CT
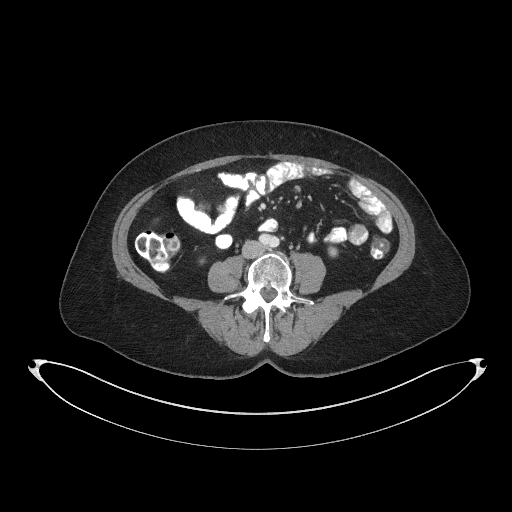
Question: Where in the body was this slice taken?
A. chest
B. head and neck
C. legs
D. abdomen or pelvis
Answer: D. abdomen or pelvis
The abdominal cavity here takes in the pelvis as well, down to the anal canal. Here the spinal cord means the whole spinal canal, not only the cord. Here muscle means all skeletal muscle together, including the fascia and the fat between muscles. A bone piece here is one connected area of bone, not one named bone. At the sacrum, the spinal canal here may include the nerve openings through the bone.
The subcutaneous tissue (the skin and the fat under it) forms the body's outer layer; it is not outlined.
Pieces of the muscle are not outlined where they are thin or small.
The spinal cord is outlined by [[266,301],[269,301],[270,300],[271,300],[276,295],[276,291],[274,289],[273,289],[272,288],[269,288],[268,289],[267,288],[263,288],[260,291],[260,293],[261,294],[261,295],[263,297],[263,298]]. The abdominal cavity is outlined by [[202,299],[219,296],[206,282],[215,261],[241,254],[248,264],[268,251],[280,251],[291,265],[289,258],[298,251],[320,257],[326,275],[313,299],[365,289],[396,251],[393,218],[354,178],[291,161],[244,159],[184,176],[140,209],[129,249],[166,293]]. The bones are outlined by [[265,342],[270,339],[270,311],[274,306],[285,312],[293,302],[314,303],[290,290],[293,271],[288,259],[280,252],[268,252],[254,259],[247,267],[246,286],[224,297],[226,300],[241,296],[244,299],[241,307],[246,313],[259,307],[264,311],[262,338]]; inner edge: [[266,301],[269,301],[270,300],[271,300],[276,295],[276,291],[274,289],[273,289],[272,288],[269,288],[268,289],[267,288],[263,288],[260,291],[260,293],[261,294],[261,295],[263,297],[263,298]]. The torso is outlined by [[207,379],[239,377],[265,363],[295,377],[338,375],[413,348],[463,317],[471,294],[466,265],[423,194],[401,168],[375,148],[334,129],[248,119],[201,125],[166,137],[138,153],[111,178],[67,266],[58,299],[60,317],[72,333],[102,343],[138,364]]. The muscle appears in 2 outlined pieces: piece 1: [[289,360],[290,359],[295,359],[305,354],[312,348],[333,326],[333,325],[340,318],[341,315],[355,302],[368,294],[377,290],[382,286],[396,279],[409,267],[415,253],[415,233],[414,232],[414,226],[412,220],[408,212],[400,200],[389,189],[380,184],[375,180],[368,177],[365,177],[360,174],[358,174],[343,166],[340,166],[332,162],[323,159],[320,159],[319,158],[308,157],[307,156],[302,156],[301,155],[296,155],[295,154],[284,154],[283,153],[279,153],[278,154],[265,154],[264,155],[261,155],[260,154],[237,154],[236,155],[227,155],[226,156],[222,156],[221,157],[217,157],[216,158],[205,160],[190,165],[170,175],[158,184],[150,185],[137,193],[121,210],[113,227],[112,238],[111,239],[111,249],[112,250],[113,261],[117,270],[117,275],[137,288],[146,292],[148,292],[155,296],[157,296],[166,301],[171,302],[191,313],[192,316],[200,324],[208,335],[212,339],[217,342],[218,344],[229,354],[236,358],[239,359],[248,359],[256,355],[264,349],[269,349],[276,353],[279,356]]; inner edge: [[265,342],[274,306],[285,312],[293,302],[311,305],[329,293],[365,289],[395,253],[393,218],[354,178],[244,159],[172,182],[133,221],[130,253],[169,295],[218,297],[207,286],[210,267],[241,254],[247,284],[224,299],[241,296],[246,313],[264,311]]; piece 2: [[306,297],[310,297],[312,294],[314,294],[318,291],[325,275],[325,267],[318,256],[316,256],[310,252],[298,252],[292,254],[290,258],[292,261],[292,268],[294,271],[294,277],[291,286],[291,290],[293,292],[295,292],[298,295],[305,296]].